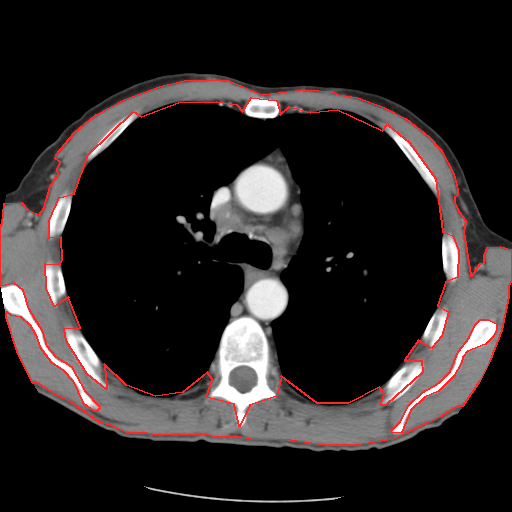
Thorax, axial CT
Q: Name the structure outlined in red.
A: red: muscle.
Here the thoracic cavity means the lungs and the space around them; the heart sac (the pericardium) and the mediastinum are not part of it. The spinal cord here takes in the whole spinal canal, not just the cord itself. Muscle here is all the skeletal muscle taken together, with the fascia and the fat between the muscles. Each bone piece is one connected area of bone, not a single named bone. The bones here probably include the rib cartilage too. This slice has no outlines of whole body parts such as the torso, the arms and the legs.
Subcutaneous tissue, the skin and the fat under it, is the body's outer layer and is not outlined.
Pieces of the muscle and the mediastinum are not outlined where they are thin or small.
{"muscle":[{"outer":[[207,79],[228,80],[261,94],[304,89],[332,91],[338,94],[357,97],[384,107],[405,118],[428,136],[440,149],[453,173],[457,189],[457,195],[454,197],[454,202],[458,211],[465,220],[463,231],[470,275],[472,275],[480,263],[484,262],[484,255],[487,247],[500,246],[511,249],[511,279],[508,286],[508,296],[501,330],[489,361],[479,381],[462,406],[457,406],[439,417],[393,439],[355,445],[325,445],[290,440],[250,439],[236,436],[214,437],[206,434],[155,435],[147,433],[127,433],[110,425],[99,422],[71,402],[56,395],[35,381],[33,383],[32,382],[17,351],[6,317],[6,311],[10,314],[20,316],[29,324],[35,334],[39,346],[50,361],[63,370],[72,380],[82,402],[93,410],[97,410],[100,407],[86,392],[72,367],[56,357],[47,346],[43,332],[29,309],[23,290],[14,283],[0,286],[0,226],[2,223],[4,203],[21,202],[28,210],[39,214],[44,207],[50,186],[58,174],[57,169],[60,162],[55,158],[56,154],[74,132],[96,114],[124,99],[159,86],[184,80]],"holes":[[[251,97],[276,100],[280,114],[289,106],[310,112],[337,109],[382,130],[387,124],[409,142],[435,178],[442,231],[452,235],[458,250],[457,277],[445,282],[437,305],[448,311],[441,336],[431,348],[418,340],[404,360],[421,360],[422,372],[385,405],[380,405],[384,394],[379,387],[348,403],[317,403],[281,376],[276,396],[249,405],[239,426],[234,404],[206,397],[212,379],[207,372],[182,392],[155,396],[126,385],[104,364],[106,389],[87,374],[66,341],[64,328],[80,327],[68,297],[54,306],[46,288],[45,263],[60,264],[62,259],[61,237],[49,238],[49,220],[59,197],[74,193],[88,154],[133,111],[141,116],[178,102],[216,101],[236,104],[242,111]],[[480,319],[488,319],[496,323],[496,330],[492,337],[485,344],[467,351],[462,357],[461,362],[453,376],[438,391],[424,397],[410,410],[401,432],[392,433],[391,430],[400,421],[409,404],[422,392],[439,382],[450,371],[458,351],[469,337],[475,324]]]}],"thoracic_cavity":[[[178,102],[264,121],[354,113],[432,192],[444,289],[380,387],[317,403],[272,357],[272,322],[290,299],[281,275],[305,231],[301,187],[278,144],[211,195],[209,246],[241,269],[243,285],[207,372],[155,396],[102,362],[61,265],[73,194],[131,123]]],"bones":[{"outer":[[242,316],[253,318],[265,333],[270,345],[271,357],[280,374],[280,390],[274,398],[264,398],[249,405],[245,410],[245,422],[239,426],[235,418],[236,406],[221,397],[208,398],[206,393],[212,379],[208,373],[209,367],[215,358],[223,330],[229,322]],"hole":[[240,366],[246,366],[247,367],[251,368],[255,372],[255,374],[256,375],[256,383],[249,390],[245,391],[244,392],[240,391],[237,388],[236,388],[233,385],[232,385],[230,383],[230,380],[229,379],[229,376],[230,375],[231,371],[235,368],[239,367]]},[[10,284],[17,285],[22,290],[28,309],[42,332],[46,346],[56,358],[71,367],[85,392],[98,405],[99,407],[97,409],[90,408],[83,402],[73,380],[63,369],[52,362],[42,349],[30,324],[20,315],[10,313],[6,310],[1,296],[0,287]],[[480,319],[488,319],[496,323],[496,330],[492,337],[485,344],[467,351],[462,357],[461,362],[453,376],[438,391],[424,397],[410,410],[401,432],[392,433],[391,430],[400,421],[409,404],[422,392],[439,382],[450,371],[458,351],[469,337],[475,324]],[[68,325],[71,325],[76,328],[78,328],[80,330],[89,345],[98,356],[103,364],[103,369],[101,372],[101,375],[102,378],[108,385],[108,387],[106,389],[103,388],[87,374],[83,368],[78,363],[73,355],[66,341],[65,334],[64,333],[64,328]],[[414,360],[421,360],[423,363],[423,370],[420,375],[414,382],[414,383],[403,394],[402,394],[393,401],[385,405],[380,405],[380,401],[384,395],[384,394],[381,391],[380,391],[380,388],[392,376],[392,375],[404,364],[408,363],[409,362],[411,362]],[[382,124],[387,124],[397,130],[413,147],[434,176],[435,180],[437,183],[437,186],[438,187],[438,194],[437,195],[435,195],[433,193],[433,192],[421,177],[419,173],[407,158],[405,154],[402,151],[396,142],[383,129],[382,127]],[[49,260],[51,260],[56,263],[60,264],[61,270],[62,271],[62,275],[63,276],[63,280],[65,285],[66,294],[67,295],[66,297],[63,297],[60,299],[58,301],[56,306],[53,305],[49,297],[45,284],[45,280],[44,279],[44,266],[45,263]],[[65,191],[72,192],[72,198],[71,199],[71,204],[69,209],[69,213],[67,216],[67,219],[66,220],[66,222],[61,235],[60,236],[55,236],[52,239],[50,239],[48,234],[48,229],[49,228],[49,220],[50,219],[51,212],[57,200]],[[443,232],[449,232],[452,235],[453,238],[455,240],[457,246],[457,249],[458,250],[458,260],[459,261],[458,264],[458,272],[457,273],[457,277],[454,282],[448,282],[446,281],[446,277],[443,271],[443,263],[442,262],[442,235]],[[251,97],[263,97],[264,98],[268,98],[269,99],[274,99],[276,100],[280,104],[280,111],[279,112],[279,114],[275,117],[273,117],[272,118],[257,118],[256,117],[252,117],[251,116],[248,116],[246,115],[243,111],[243,107],[246,101],[249,98]],[[133,111],[139,111],[140,112],[140,114],[138,117],[137,117],[132,122],[131,122],[105,149],[104,149],[100,153],[99,153],[95,157],[94,157],[88,162],[86,159],[88,154],[93,149],[96,144],[101,139],[101,138],[106,133],[106,132],[121,118]],[[440,306],[445,306],[447,308],[447,310],[448,311],[447,321],[446,322],[445,327],[441,334],[441,336],[439,338],[437,342],[433,346],[433,347],[429,348],[425,343],[420,342],[419,340],[426,326],[428,324],[433,313],[435,311],[437,307],[439,307]]],"spinal_cord":[[[240,366],[246,366],[247,367],[251,368],[255,372],[255,374],[256,375],[256,383],[249,390],[245,391],[244,392],[240,391],[237,388],[236,388],[233,385],[232,385],[230,383],[230,380],[229,379],[229,376],[230,375],[231,371],[235,368],[239,367]]],"mediastinum":[[[278,145],[300,187],[304,231],[297,253],[280,275],[289,299],[283,313],[271,322],[273,345],[253,317],[242,315],[228,322],[230,308],[243,289],[244,276],[238,265],[224,261],[218,249],[210,246],[216,230],[209,210],[214,190],[233,180],[243,168]]]}